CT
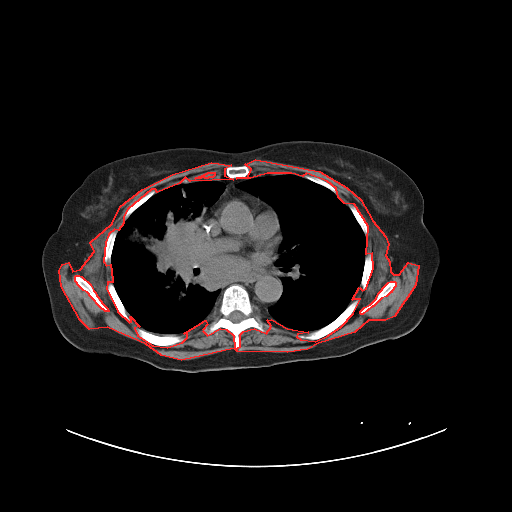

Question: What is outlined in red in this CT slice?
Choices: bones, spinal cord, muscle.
Answer: red: muscle.
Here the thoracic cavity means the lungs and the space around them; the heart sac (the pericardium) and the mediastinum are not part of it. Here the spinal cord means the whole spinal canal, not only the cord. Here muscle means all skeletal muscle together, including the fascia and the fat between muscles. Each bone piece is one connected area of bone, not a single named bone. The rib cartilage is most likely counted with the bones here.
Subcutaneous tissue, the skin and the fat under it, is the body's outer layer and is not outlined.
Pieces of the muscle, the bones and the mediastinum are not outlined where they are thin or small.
The muscle appears in 2 outlined pieces: piece 1: 255 159; 319 171; 346 187; 360 199; 372 220; 385 236; 388 244; 385 255; 389 261; 390 271; 393 274; 399 274; 408 262; 418 265; 415 285; 394 316; 385 320; 368 320; 354 332; 318 343; 307 349; 287 352; 237 351; 235 349; 240 346; 240 334; 243 331; 254 328; 266 333; 271 326; 267 320; 271 319; 287 328; 308 332; 297 334; 296 336; 300 339; 315 341; 328 335; 341 326; 353 313; 360 299; 352 299; 359 287; 362 290; 366 288; 373 268; 372 253; 366 254; 368 226; 354 204; 344 203; 338 197; 336 188; 327 181; 306 173; 302 176; 291 173; 267 173; 250 178; 236 178; 248 176; 251 169; 245 164, around a hole outlined by 390 281; 394 281; 395 282; 395 286; 391 291; 391 292; 390 292; 386 296; 381 298; 373 306; 372 306; 362 314; 361 314; 360 313; 360 311; 364 307; 370 304; 376 298; 378 293; 382 289; 382 288; 388 282; piece 2: 211 162; 231 165; 224 169; 224 175; 233 179; 190 181; 185 177; 179 183; 157 192; 155 189; 151 189; 127 209; 123 216; 123 223; 118 230; 114 229; 108 234; 105 242; 103 261; 106 265; 110 264; 112 279; 112 282; 107 282; 106 288; 117 311; 129 322; 131 321; 130 316; 139 326; 134 328; 137 335; 152 345; 167 347; 182 342; 187 337; 187 334; 184 333; 205 320; 207 324; 202 330; 207 335; 220 328; 226 329; 233 335; 234 348; 181 360; 161 355; 146 344; 107 327; 89 329; 80 320; 61 286; 59 270; 62 264; 68 262; 72 271; 80 269; 94 251; 90 242; 112 223; 120 206; 142 189; 172 174; inner edges: 76 275; 79 275; 81 276; 90 284; 93 290; 95 292; 96 295; 101 301; 101 302; 107 308; 108 311; 105 311; 103 309; 102 309; 89 295; 89 294; 87 292; 83 290; 77 284; 77 283; 75 281; 75 276, then 208 172; 214 172; 214 175; 212 177; 208 177; 207 178; 205 178; 204 177; 201 177; 200 178; 195 178; 196 177; 198 177; 199 176; 201 176; 202 175; 203 175; 204 174; 205 174; 206 173; 207 173. The spinal cord is outlined by 236 310; 237 310; 238 311; 240 311; 244 315; 244 316; 245 317; 242 320; 241 320; 240 321; 239 321; 238 322; 233 322; 231 320; 230 320; 228 318; 228 317; 229 316; 229 315; 233 311; 235 311. The thoracic cavity appears in 2 outlined pieces: piece 1: 196 180; 213 180; 224 184; 222 192; 201 220; 203 229; 201 259; 205 263; 203 265; 207 275; 220 290; 221 297; 219 304; 211 313; 191 329; 183 333; 161 335; 140 327; 127 311; 113 283; 112 251; 118 231; 142 204; 168 187; piece 2: 267 174; 296 175; 327 188; 348 207; 365 236; 365 256; 358 288; 351 301; 333 320; 315 330; 299 331; 271 318; 268 320; 262 314; 278 301; 283 292; 280 274; 275 267; 283 235; 275 210; 257 195; 237 187; 237 184. The pericardium is outlined by 232 196; 247 196; 259 202; 261 202; 263 204; 265 204; 275 212; 280 228; 280 238; 277 244; 274 255; 267 264; 256 265; 241 255; 228 253; 219 250; 210 233; 202 227; 202 224; 203 223; 202 222; 209 217; 225 200; 227 200. The mediastinum appears in 2 outlined pieces: piece 1: 204 229; 219 251; 241 256; 256 266; 267 265; 274 257; 281 231; 282 237; 277 249; 279 255; 274 261; 274 267; 279 274; 282 292; 266 311; 261 311; 251 301; 248 291; 241 284; 230 284; 222 293; 210 278; 202 259; piece 2: 234 179; 248 179; 238 182; 236 184; 236 187; 239 189; 244 190; 254 196; 257 196; 271 207; 265 203; 247 195; 232 195; 227 199; 225 199; 209 216; 202 221; 205 213; 217 201; 225 188; 225 184; 222 181; 214 180; 233 180. The torso is outlined by 290 140; 331 142; 370 151; 394 163; 417 185; 424 201; 423 222; 437 241; 440 260; 425 314; 414 329; 338 357; 195 373; 87 353; 63 337; 51 312; 42 251; 59 225; 65 202; 91 171; 123 157; 168 148; 240 152. The bones appear in 12 outlined pieces: piece 1: 233 284; 241 285; 247 291; 250 301; 258 307; 270 326; 266 332; 254 327; 249 327; 243 330; 239 334; 239 346; 237 348; 234 347; 234 335; 226 328; 220 327; 209 334; 203 330; 203 328; 208 324; 206 319; 220 304; 224 290; inner edge: 236 310; 237 310; 238 311; 240 311; 244 315; 244 316; 245 317; 242 320; 241 320; 240 321; 239 321; 238 322; 233 322; 231 320; 230 320; 228 318; 228 317; 229 316; 229 315; 233 311; 235 311; piece 2: 355 299; 359 299; 359 302; 349 317; 341 325; 340 325; 337 328; 328 334; 315 340; 309 340; 304 338; 300 338; 297 336; 297 335; 299 334; 306 334; 309 332; 318 330; 324 327; 326 325; 329 324; 332 321; 333 321; 352 301; piece 3: 136 327; 139 327; 148 332; 157 335; 160 335; 161 336; 163 335; 167 335; 168 334; 174 334; 175 335; 186 334; 185 335; 186 337; 184 340; 177 342; 174 344; 168 345; 167 346; 159 346; 148 342; 138 335; 135 331; 135 328; piece 4: 108 282; 111 282; 113 284; 113 285; 114 286; 114 288; 115 289; 122 304; 124 306; 126 311; 129 314; 130 321; 127 320; 118 311; 118 310; 115 307; 114 304; 112 302; 112 301; 108 294; 108 289; 107 288; 107 284; 108 283; piece 5: 76 275; 79 275; 81 276; 90 284; 93 290; 95 292; 96 295; 101 301; 101 302; 107 308; 108 311; 105 311; 103 309; 102 309; 89 295; 89 294; 87 292; 83 290; 77 284; 77 283; 75 281; 75 276; piece 6: 240 165; 246 165; 250 169; 250 173; 248 175; 247 175; 246 176; 245 176; 244 177; 236 177; 235 178; 230 178; 229 177; 228 177; 226 175; 225 175; 225 169; 227 167; 228 167; 229 166; 239 166; piece 7: 390 281; 394 281; 395 282; 395 286; 391 291; 391 292; 390 292; 386 296; 381 298; 373 306; 372 306; 362 314; 361 314; 360 313; 360 311; 364 307; 370 304; 376 298; 378 293; 382 289; 382 288; 388 282; piece 8: 369 253; 371 253; 371 255; 372 256; 372 268; 371 269; 371 274; 370 275; 369 280; 365 288; 364 289; 362 289; 362 288; 360 286; 360 284; 361 283; 361 279; 362 278; 363 270; 364 269; 364 264; 365 263; 365 257; 366 255; piece 9: 114 230; 116 230; 117 232; 115 236; 115 239; 114 240; 113 246; 112 247; 112 250; 111 251; 111 257; 110 258; 110 263; 106 264; 104 261; 104 252; 105 251; 105 246; 106 245; 106 242; 107 241; 107 239; 108 238; 109 234; piece 10: 151 190; 155 190; 156 192; 148 199; 147 199; 143 203; 142 203; 136 209; 135 209; 128 216; 128 217; 125 220; 124 220; 124 216; 126 212; 128 210; 128 209; 134 203; 135 203; 138 200; 139 200; 143 196; 144 196; piece 11: 349 204; 352 204; 354 205; 357 208; 357 209; 362 215; 366 223; 366 225; 367 226; 367 234; 366 235; 365 235; 360 225; 358 223; 356 218; 354 216; 353 213; 349 208; 348 206; piece 12: 306 174; 307 175; 309 175; 310 176; 312 176; 316 178; 319 178; 327 182; 335 188; 337 192; 336 194; 327 187; 319 183; 314 182; 309 179; 307 179; 303 177; 303 176.